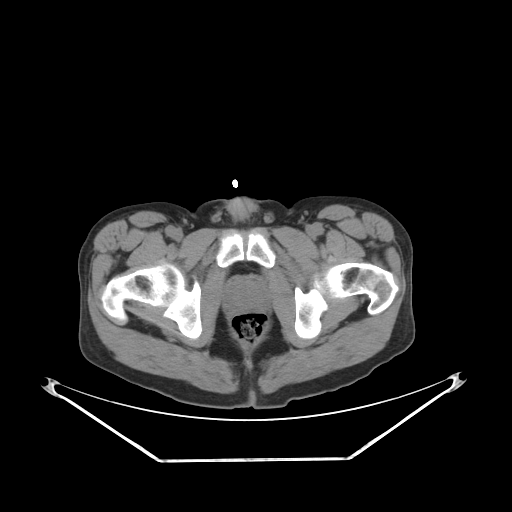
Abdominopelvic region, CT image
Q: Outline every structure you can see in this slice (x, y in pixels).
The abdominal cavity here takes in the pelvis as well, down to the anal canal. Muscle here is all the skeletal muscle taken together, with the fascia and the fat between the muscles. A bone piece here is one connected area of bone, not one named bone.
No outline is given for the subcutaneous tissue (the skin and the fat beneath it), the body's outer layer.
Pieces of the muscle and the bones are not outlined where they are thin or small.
A: {"bones":[[[162,262],[171,263],[181,271],[187,289],[191,289],[194,279],[199,283],[202,330],[196,339],[183,335],[174,320],[163,316],[164,309],[161,307],[127,299],[123,302],[123,308],[128,318],[125,323],[121,323],[109,316],[102,306],[100,297],[111,278]],[[344,262],[368,262],[391,272],[399,287],[392,302],[383,311],[371,315],[367,311],[369,298],[366,294],[330,299],[327,302],[327,310],[320,316],[319,334],[309,339],[299,337],[294,328],[295,287],[298,286],[304,292],[308,291],[313,286],[316,274]],[[252,230],[254,232],[262,234],[267,239],[269,246],[275,253],[274,265],[268,268],[260,265],[255,261],[249,260],[236,261],[228,267],[220,267],[217,265],[215,257],[220,246],[220,238],[226,234],[231,234],[235,231],[238,232],[245,241],[248,234]]],"abdominal_cavity":[[[242,261],[248,261],[256,265],[262,274],[268,289],[270,301],[270,312],[271,313],[269,328],[265,337],[263,338],[263,341],[254,349],[249,350],[246,350],[236,340],[228,324],[227,319],[228,318],[226,315],[223,300],[223,290],[232,267],[237,263]]],"muscle":[{"outer":[[344,203],[375,210],[390,221],[403,255],[405,293],[387,345],[372,357],[262,394],[256,384],[258,366],[264,359],[287,348],[278,320],[272,319],[269,337],[259,351],[245,353],[232,340],[225,319],[220,315],[209,346],[210,353],[236,363],[241,374],[240,389],[224,394],[126,366],[115,360],[99,339],[87,303],[88,265],[94,235],[108,220],[145,209],[166,214],[190,230],[257,226],[297,229],[313,220],[325,206]],"holes":[[[252,230],[267,239],[275,253],[275,263],[268,268],[255,261],[251,262],[262,274],[268,289],[271,319],[263,341],[254,349],[246,350],[236,340],[228,324],[223,300],[223,290],[232,267],[239,262],[220,267],[215,257],[222,236],[235,231],[245,241]],[[162,262],[171,263],[181,271],[187,289],[191,289],[194,279],[199,283],[202,330],[196,339],[183,335],[174,320],[163,316],[164,309],[161,307],[127,299],[123,302],[123,308],[128,318],[125,323],[121,323],[109,316],[102,306],[100,297],[111,278]],[[344,262],[368,262],[391,272],[399,287],[392,302],[383,311],[371,315],[367,311],[369,298],[366,294],[330,299],[327,302],[327,310],[320,316],[319,334],[309,339],[299,337],[294,328],[295,287],[298,286],[304,292],[308,291],[313,286],[316,274]]]},{"outer":[[243,358],[250,358],[251,359],[252,359],[253,360],[253,362],[254,363],[254,364],[255,365],[255,366],[254,367],[254,368],[252,370],[249,370],[248,369],[246,369],[243,366],[243,364],[242,363],[242,361],[243,360]],"hole":[[245,360],[246,360],[247,360],[248,361],[249,361],[250,361],[251,362],[251,363],[252,364],[252,365],[252,366],[252,367],[251,368],[250,368],[249,368],[248,367],[247,366],[246,365],[245,364],[245,363],[245,362],[245,361]]}],"torso":[[[236,194],[274,199],[286,206],[308,196],[350,195],[376,202],[392,213],[407,230],[413,247],[416,330],[412,344],[350,385],[273,409],[216,409],[177,402],[89,362],[78,345],[77,258],[91,226],[104,214],[125,205],[168,201],[193,210],[205,201]]]}